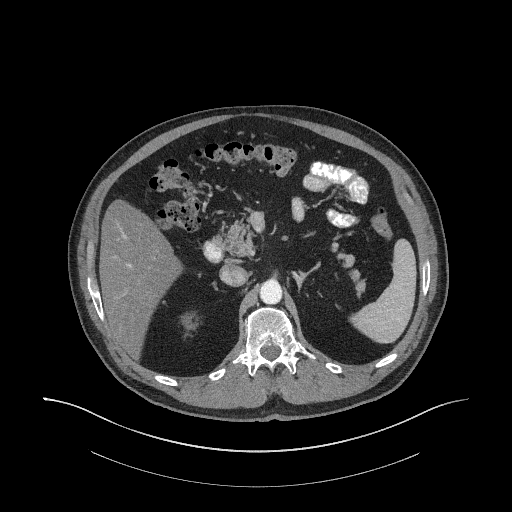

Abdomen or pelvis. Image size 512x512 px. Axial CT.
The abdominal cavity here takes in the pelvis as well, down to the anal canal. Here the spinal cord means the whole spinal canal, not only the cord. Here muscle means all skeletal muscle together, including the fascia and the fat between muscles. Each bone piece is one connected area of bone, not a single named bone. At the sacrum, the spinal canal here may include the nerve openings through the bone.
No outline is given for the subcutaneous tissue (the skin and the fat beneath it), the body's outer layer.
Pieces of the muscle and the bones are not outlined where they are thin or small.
The bones appear in 8 outlined pieces: piece 1: 251,376 255,375 261,365 273,371 279,363 282,363 290,373 295,373 295,364 299,359 296,355 298,352 311,359 316,358 295,337 293,325 281,309 259,307 251,311 245,319 244,349 232,360 232,363 245,364; inner edge: 271,360 275,358 279,354 280,352 280,349 279,347 278,346 274,346 273,345 271,346 264,346 262,347 260,350 260,352 261,354 264,357 268,359 270,359; piece 2: 102,321 105,321 105,318 103,313 103,309 101,305 101,297 99,293 99,289 97,285 97,282 93,276 91,275 88,275 86,280 87,281 87,289 92,299 92,302 95,308 95,310 99,318; piece 3: 423,296 425,296 426,295 426,294 428,291 428,288 429,287 429,282 430,281 430,263 429,262 429,260 428,259 426,259 420,263 420,269 421,270 421,291 422,292 422,295; piece 4: 172,386 177,386 178,385 178,382 172,377 170,377 169,376 167,376 166,375 163,375 162,374 159,374 158,373 157,373 154,375 154,378 157,381 158,381 161,383 163,383 164,384 166,384 167,385 171,385; piece 5: 375,367 380,367 381,366 383,366 386,364 388,364 390,362 393,361 396,358 396,357 397,356 397,353 396,352 391,352 387,355 386,355 384,357 381,358 377,362 376,362 375,363 375,364 374,365 374,366; piece 6: 211,380 216,380 217,379 218,379 219,378 222,377 223,376 223,375 225,373 225,371 226,370 226,369 225,368 221,368 220,369 218,369 217,370 214,370 213,371 210,372 207,375 207,376 208,377 208,378; piece 7: 334,373 340,373 342,371 342,367 339,364 338,364 337,363 333,363 332,362 326,362 325,363 325,366 330,371 331,371 332,372 333,372; piece 8: 89,267 90,267 91,266 91,254 92,253 92,252 93,251 93,244 92,243 92,242 90,240 88,242 88,244 87,245 87,253 88,254 87,255 88,256 88,264 89,265. The muscle is outlined by 225,409 228,408 237,408 238,407 244,407 245,408 257,407 263,404 267,400 269,395 273,392 277,393 284,400 294,404 305,404 312,402 330,401 331,400 348,397 360,393 377,384 384,377 400,365 417,346 422,336 423,331 426,327 426,324 428,321 428,309 434,298 436,292 437,276 438,275 437,242 433,230 433,226 430,222 428,213 409,174 390,157 377,150 358,137 348,132 327,125 323,125 319,123 303,119 288,117 278,114 263,113 262,112 242,112 234,114 217,115 216,116 211,116 199,119 166,131 148,141 140,147 120,166 111,172 99,183 93,192 87,204 83,216 79,240 77,244 76,258 77,259 77,268 79,275 79,284 84,296 85,305 87,308 89,316 102,336 103,341 109,352 110,356 113,359 117,366 125,374 127,374 134,379 136,379 145,384 162,390 179,401 184,402 190,405 194,405 200,407 224,408 with holes at 172,386 178,385 173,376 207,373 211,380 222,377 226,369 214,369 237,342 241,326 245,327 245,345 232,363 245,364 251,376 261,365 273,371 279,363 295,373 298,352 316,358 295,337 294,328 314,348 337,362 325,363 334,373 342,371 340,363 363,364 378,359 374,366 380,367 396,358 397,353 391,351 407,331 417,307 419,270 421,291 425,296 430,263 428,259 418,261 415,238 397,200 391,176 383,165 363,151 308,129 264,117 242,116 181,136 118,178 102,206 96,251 97,279 88,275 87,289 99,318 106,322 126,353 155,371 157,381 and at 89,267 90,267 91,266 91,254 92,253 92,252 93,251 93,244 92,243 92,242 90,240 88,242 88,244 87,245 87,253 88,254 87,255 88,256 88,264 89,265 and at 411,204 413,204 413,203 412,202 412,199 411,198 411,197 410,197 409,196 409,195 407,193 405,193 405,197 407,199 407,200. The torso is outlined by 232,422 319,417 392,392 420,360 445,307 449,286 447,244 431,189 413,162 392,141 337,112 295,104 232,105 167,119 116,149 95,172 75,210 67,240 69,285 81,327 104,365 119,382 156,405 186,415. The spinal cord is outlined by 271,360 275,358 279,354 280,352 280,349 279,347 278,346 274,346 273,345 271,346 264,346 262,347 260,350 260,352 261,354 264,357 268,359 270,359. The abdominal cavity is outlined by 170,376 214,369 237,342 247,314 264,305 283,309 308,343 338,363 363,364 390,352 417,307 419,262 415,238 385,167 363,151 308,129 242,116 181,136 122,174 104,200 97,237 96,275 106,323 132,359.